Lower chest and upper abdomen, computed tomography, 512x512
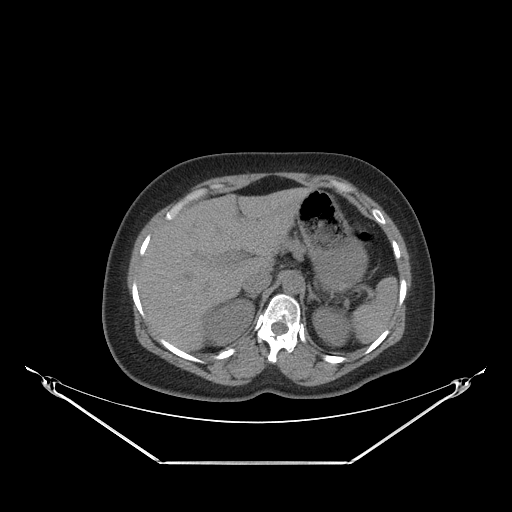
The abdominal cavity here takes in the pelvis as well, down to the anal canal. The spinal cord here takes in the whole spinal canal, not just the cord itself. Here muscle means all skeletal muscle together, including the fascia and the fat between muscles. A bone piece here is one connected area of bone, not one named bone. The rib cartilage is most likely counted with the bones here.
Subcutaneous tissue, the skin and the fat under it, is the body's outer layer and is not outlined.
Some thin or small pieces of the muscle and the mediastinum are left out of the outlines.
The spinal cord is outlined by 276,322 282,322 284,324 285,324 285,325 287,327 287,330 285,332 284,332 283,333 282,333 281,334 275,334 273,332 273,331 272,330 272,329 271,328 271,327 272,326 272,324 273,323 275,323. The muscle is outlined by 269,171 305,172 306,173 312,173 313,174 333,174 346,179 361,191 368,195 382,207 399,230 404,240 409,255 409,262 411,267 411,288 409,292 410,293 406,301 405,330 402,337 397,342 382,351 377,356 371,360 334,380 319,385 304,386 303,385 296,384 282,374 278,368 274,365 267,367 262,372 258,378 250,383 247,383 243,385 237,385 236,386 229,386 228,385 218,384 209,380 207,380 186,370 181,369 179,367 177,367 173,364 169,363 154,353 147,350 139,343 138,340 136,338 135,332 134,331 134,317 133,316 133,311 132,310 132,306 131,305 131,302 130,301 130,298 127,289 127,282 126,281 127,280 127,271 128,270 131,251 135,239 144,225 156,212 169,203 175,201 180,197 183,196 192,186 199,182 201,182 209,178 218,177 224,175 233,175 234,174 241,174 242,173 255,173 256,172 268,172; inner edge: 266,176 329,188 333,187 329,181 334,179 351,186 353,190 346,193 368,213 373,208 382,213 385,223 380,225 389,241 395,240 399,248 396,263 399,278 406,282 406,294 402,304 395,307 387,325 388,334 370,352 364,354 364,347 344,354 346,360 342,362 330,363 307,339 299,339 291,352 281,348 272,363 267,358 268,343 259,342 253,328 232,346 235,351 230,356 215,359 212,353 196,355 205,362 199,363 167,349 138,311 132,298 132,284 138,280 140,247 148,234 151,237 167,221 166,213 194,190 221,183 223,188 210,189 207,194 223,193. The torso is outlined by 234,151 348,154 374,165 396,184 418,218 434,276 433,329 416,360 400,370 332,397 292,399 266,392 238,402 201,401 169,395 140,385 122,371 104,337 101,304 109,249 126,210 140,191 169,167 200,155. The abdominal cavity is outlined by 266,176 346,193 387,236 399,274 397,305 387,327 367,347 339,355 312,345 301,322 303,280 293,273 286,273 271,291 253,328 225,351 191,354 160,337 150,325 137,281 140,261 157,228 194,200 233,191. The bones appear in 12 outlined pieces: piece 1: 279,293 287,294 298,302 300,322 304,326 303,335 306,342 299,339 291,352 281,348 276,354 276,361 272,363 267,358 270,351 269,345 264,340 259,342 257,340 257,332 254,327 258,317 264,311 272,296 with a hole at 276,322 282,322 284,324 285,324 285,325 287,327 287,330 285,332 284,332 283,333 282,333 281,334 275,334 273,332 273,331 272,330 272,329 271,328 271,327 272,326 272,324 273,323 275,323; piece 2: 217,183 224,184 225,186 223,188 221,188 220,189 210,189 206,195 199,197 197,199 194,199 184,205 171,219 165,219 165,215 166,213 177,202 187,194 194,190 196,190 203,187 208,187 211,184 216,184; piece 3: 158,337 164,339 170,344 173,345 176,348 186,353 188,353 191,355 193,355 203,360 205,362 204,363 199,363 198,362 195,362 194,361 192,361 188,359 185,359 175,354 173,352 167,349 158,340; piece 4: 134,280 135,280 137,283 137,290 138,291 138,294 139,295 139,299 140,300 140,302 141,303 141,305 142,306 143,311 145,314 145,317 146,319 145,319 140,314 132,298 132,284; piece 5: 332,179 334,179 337,181 339,181 340,182 343,182 344,183 346,183 348,184 352,187 353,190 351,192 342,192 341,193 337,191 336,189 334,187 330,185 329,183 329,181; piece 6: 387,328 389,332 388,334 385,337 385,338 375,348 374,348 370,352 366,354 364,354 364,351 368,347 368,346 369,346 370,344 371,344 382,333 382,332 383,332 384,330; piece 7: 401,278 403,278 405,280 405,281 406,282 406,294 405,295 405,297 404,298 404,300 403,301 403,302 402,303 402,304 400,306 399,306 398,305 398,299 399,298 399,289 400,288 400,279; piece 8: 323,354 328,354 329,355 338,355 339,356 344,356 345,357 346,357 346,360 344,360 342,362 338,362 337,363 330,363 329,362 328,362 327,361 326,361 325,360 324,360 322,358 322,355; piece 9: 373,208 376,208 377,209 378,209 382,213 382,214 383,215 383,217 384,218 384,219 385,220 385,223 384,224 380,224 379,223 378,223 375,220 375,218 372,215 372,214 371,213 371,210; piece 10: 231,348 234,348 235,349 235,351 230,356 229,356 228,357 226,357 225,358 223,358 222,359 215,359 214,358 213,358 213,357 212,356 212,355 213,354 216,354 220,351 221,352 225,352 226,351 229,350; piece 11: 148,234 150,234 150,239 149,240 149,242 147,245 147,247 145,249 145,251 144,252 143,255 142,255 141,256 140,255 140,253 139,252 140,251 140,247 141,246 141,245 142,244 142,242 144,240 145,237; piece 12: 392,240 395,240 396,241 396,242 398,245 398,247 399,248 399,251 400,252 400,257 398,259 398,260 396,260 396,259 395,258 395,256 394,255 394,253 393,252 393,249 392,248 392,245 391,244 391,241. The mediastinum is outlined by 286,274 293,274 294,275 297,275 302,280 302,289 299,295 299,303 299,302 293,296 287,293 284,293 283,292 279,292 278,293 276,293 272,295 270,298 270,295 272,291 279,285 280,282 282,280 282,278.